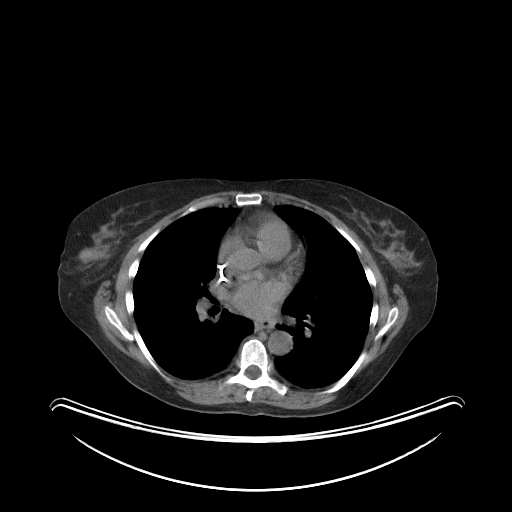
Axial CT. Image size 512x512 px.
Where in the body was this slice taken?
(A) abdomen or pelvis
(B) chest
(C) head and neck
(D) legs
(B) chest
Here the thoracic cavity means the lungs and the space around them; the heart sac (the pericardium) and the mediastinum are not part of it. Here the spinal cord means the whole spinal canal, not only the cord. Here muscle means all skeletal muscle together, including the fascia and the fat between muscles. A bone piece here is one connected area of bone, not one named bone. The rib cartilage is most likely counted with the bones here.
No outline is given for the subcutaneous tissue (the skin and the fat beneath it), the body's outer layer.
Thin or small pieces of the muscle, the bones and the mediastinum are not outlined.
{"mediastinum":[[[280,308],[283,316],[283,323],[277,327],[291,335],[293,342],[293,347],[288,353],[276,356],[272,361],[269,358],[266,346],[256,337],[249,337],[244,340],[240,346],[242,340],[250,335],[254,329],[253,322],[249,318],[256,320],[271,318],[278,313]],[[264,201],[279,203],[276,204],[273,208],[273,211],[275,213],[265,209],[255,210],[246,213],[240,217],[226,231],[227,228],[235,220],[239,210],[237,208],[234,208],[231,206],[219,206],[218,205],[234,203],[237,206],[250,206],[251,205],[260,205]],[[210,284],[211,284],[211,287],[213,289],[215,293],[217,294],[219,298],[221,299],[221,300],[225,304],[225,305],[231,311],[233,311],[238,314],[242,315],[233,313],[231,312],[226,307],[222,306],[222,304],[220,303],[220,301],[211,291],[210,289]],[[293,228],[294,228],[294,229],[295,230],[296,230],[296,231],[297,232],[298,232],[301,235],[301,236],[302,237],[302,238],[303,239],[303,241],[298,236],[298,235],[296,233],[296,232],[294,230],[294,229]]],"bones":[{"outer":[[249,338],[256,338],[265,346],[268,358],[273,363],[279,379],[288,386],[288,390],[283,395],[271,387],[264,385],[257,387],[252,394],[251,400],[247,401],[245,397],[247,388],[242,384],[234,383],[220,388],[220,382],[231,371],[242,343]],"hole":[[251,365],[254,365],[255,366],[258,367],[258,368],[260,370],[260,374],[259,375],[259,376],[258,376],[256,378],[254,378],[253,379],[252,379],[251,378],[248,377],[245,374],[245,371],[246,370],[246,369],[249,366],[250,366]]},[[105,306],[108,306],[115,312],[123,326],[129,332],[132,331],[133,327],[137,328],[147,349],[156,363],[161,368],[162,371],[169,377],[170,380],[168,381],[166,380],[156,371],[147,360],[137,343],[134,340],[128,340],[108,320],[104,311],[104,307]],[[363,350],[365,350],[367,352],[367,357],[361,363],[361,364],[355,371],[351,378],[344,386],[334,392],[325,393],[324,394],[318,393],[320,391],[329,387],[332,384],[337,381],[342,376],[343,376],[354,364],[354,363],[358,358],[359,355]],[[238,192],[244,192],[245,193],[248,193],[249,192],[258,192],[262,196],[262,202],[260,204],[251,204],[250,205],[237,205],[234,202],[234,197],[235,196],[235,195]],[[212,198],[222,198],[224,199],[224,202],[223,203],[221,204],[218,204],[217,205],[214,205],[213,206],[208,206],[207,207],[200,208],[195,211],[192,211],[181,217],[179,217],[179,216],[184,211],[195,203],[205,200],[206,199],[211,199]],[[394,306],[396,306],[398,308],[398,316],[397,317],[396,320],[394,322],[394,323],[381,337],[380,337],[378,339],[375,340],[374,339],[374,336],[385,324],[385,323],[386,322],[386,320],[387,319],[387,317],[388,316],[388,313],[389,312],[390,309]],[[335,225],[337,225],[338,226],[341,227],[356,242],[356,243],[359,246],[359,247],[360,248],[360,250],[361,251],[360,254],[358,254],[357,253],[357,252],[355,250],[355,249],[353,247],[353,246],[334,227],[334,226]],[[159,227],[160,228],[160,231],[157,234],[157,235],[156,235],[155,236],[155,237],[147,245],[147,246],[145,248],[145,249],[143,251],[143,252],[138,252],[138,248],[139,247],[140,244],[142,242],[142,241],[144,239],[145,239],[155,229],[156,229]],[[129,289],[130,290],[132,290],[132,294],[133,295],[133,305],[134,306],[134,308],[133,309],[133,314],[132,314],[131,315],[130,315],[128,313],[128,312],[127,311],[127,308],[126,307],[126,304],[125,303],[125,293],[126,292],[126,291]],[[373,303],[377,303],[377,304],[378,305],[378,314],[377,315],[377,321],[376,322],[376,323],[375,324],[375,325],[374,326],[374,327],[372,329],[369,329],[369,321],[370,320],[370,315],[371,314],[371,310],[372,309],[372,306],[373,305]],[[364,266],[367,266],[368,267],[369,267],[371,269],[371,270],[372,271],[372,272],[375,277],[375,280],[376,281],[376,284],[374,287],[371,287],[368,282],[368,280],[366,277],[366,275],[365,274],[365,272],[364,271],[364,269],[363,268],[363,267]],[[137,257],[140,259],[139,260],[139,264],[138,265],[138,267],[137,268],[137,271],[136,272],[136,274],[133,278],[129,278],[129,277],[128,276],[128,270],[129,269],[129,267],[130,266],[131,263],[133,261],[133,260]]],"thoracic_cavity":[[[214,206],[231,207],[237,209],[238,212],[220,239],[216,270],[209,289],[222,307],[233,314],[251,320],[253,329],[241,340],[237,357],[232,364],[221,373],[200,379],[181,378],[162,368],[148,349],[134,317],[133,283],[144,251],[162,230],[178,218]],[[279,204],[302,207],[328,222],[356,252],[371,290],[372,305],[362,349],[347,371],[329,385],[296,385],[280,376],[273,362],[276,357],[285,356],[294,347],[292,335],[278,326],[284,323],[281,311],[283,303],[305,271],[308,250],[302,235],[274,211]]],"pericardium":[[[262,210],[272,212],[291,226],[297,236],[303,242],[305,247],[305,259],[303,270],[304,271],[299,281],[285,298],[277,313],[272,315],[271,317],[256,319],[231,310],[216,293],[212,287],[212,282],[217,270],[219,246],[226,232],[240,218],[246,214]]],"torso":[[[193,177],[330,180],[357,188],[399,208],[423,229],[437,261],[437,301],[433,315],[384,378],[363,399],[346,409],[313,417],[201,413],[181,409],[158,400],[127,381],[65,315],[58,299],[57,268],[71,220],[95,201],[118,190],[151,181]]],"spinal_cord":[[[251,365],[254,365],[255,366],[258,367],[258,368],[260,370],[260,374],[259,375],[259,376],[258,376],[256,378],[254,378],[253,379],[252,379],[251,378],[248,377],[245,374],[245,371],[246,370],[246,369],[249,366],[250,366]]],"muscle":[[[228,190],[241,191],[234,195],[233,202],[224,203],[225,199],[222,197],[197,201],[163,229],[159,226],[155,228],[141,241],[137,248],[137,252],[142,253],[141,257],[135,257],[127,270],[128,278],[133,279],[132,289],[129,288],[124,293],[126,311],[130,316],[133,315],[136,324],[131,331],[124,326],[111,307],[103,307],[107,320],[128,341],[136,343],[149,364],[168,382],[171,379],[162,369],[181,379],[200,380],[221,374],[231,366],[230,371],[219,382],[219,388],[234,384],[242,385],[246,388],[246,401],[207,405],[192,402],[177,394],[157,375],[108,340],[94,315],[93,298],[103,281],[115,281],[114,276],[135,237],[191,200]],{"outer":[[260,190],[287,193],[312,202],[334,214],[364,243],[385,278],[388,290],[390,292],[393,285],[398,284],[403,290],[408,302],[409,309],[407,317],[400,330],[384,351],[370,362],[333,400],[317,407],[290,409],[265,403],[252,403],[250,402],[253,394],[257,388],[265,386],[283,396],[289,390],[289,386],[279,377],[302,388],[321,388],[329,386],[317,393],[322,395],[334,393],[344,387],[368,357],[368,352],[363,349],[364,342],[368,331],[375,327],[379,314],[379,305],[377,302],[373,302],[371,289],[377,284],[376,277],[369,266],[362,265],[358,257],[362,252],[360,246],[341,226],[337,224],[333,226],[306,205],[300,206],[291,203],[263,201],[263,196],[256,191]],"hole":[[394,306],[396,306],[398,308],[398,316],[397,317],[396,320],[394,322],[394,323],[381,337],[380,337],[378,339],[375,340],[374,339],[374,336],[385,324],[385,323],[386,322],[386,320],[387,319],[387,317],[388,316],[388,313],[389,312],[390,309]]}]}